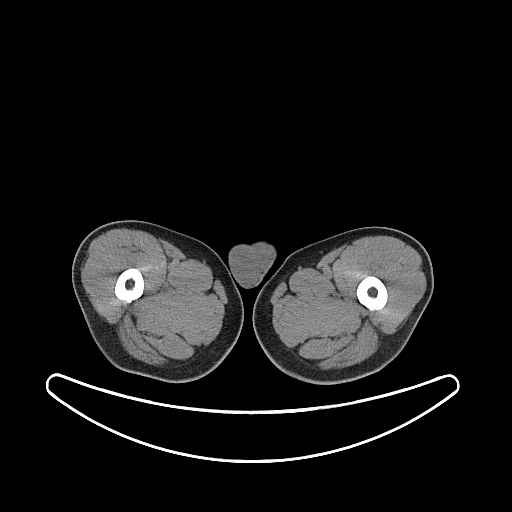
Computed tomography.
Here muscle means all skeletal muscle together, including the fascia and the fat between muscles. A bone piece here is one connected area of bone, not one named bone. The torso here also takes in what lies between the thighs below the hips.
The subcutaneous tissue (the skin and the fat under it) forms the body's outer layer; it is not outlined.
The torso is outlined by [[258,239],[265,239],[273,243],[277,248],[277,256],[272,265],[262,278],[261,281],[256,286],[252,288],[244,288],[238,283],[237,284],[235,282],[230,271],[230,268],[226,262],[227,261],[228,250],[234,244],[241,243],[242,242],[250,243]]. The bones are outlined by [[131,267],[134,267],[136,268],[142,274],[143,280],[144,281],[144,286],[143,287],[143,293],[138,298],[134,299],[132,301],[128,303],[123,300],[119,299],[116,296],[115,292],[114,291],[114,287],[115,286],[116,280],[119,274],[124,270]]. The right leg is outlined by [[117,220],[147,221],[192,236],[215,250],[229,268],[231,276],[238,288],[243,301],[243,323],[239,335],[230,351],[214,369],[204,376],[183,383],[171,383],[124,371],[111,364],[94,342],[74,293],[71,279],[72,262],[78,246],[88,233],[103,224]]. The muscle appears in 2 outlined pieces: piece 1: [[371,235],[392,235],[420,252],[426,267],[424,274],[426,278],[426,288],[422,297],[403,325],[396,332],[388,336],[379,349],[369,358],[352,366],[331,371],[304,365],[280,342],[271,324],[268,303],[277,282],[292,268],[309,261],[320,253],[353,238]]; piece 2: [[114,228],[128,228],[146,231],[158,238],[180,246],[203,258],[221,278],[226,290],[227,306],[220,332],[209,347],[192,362],[180,366],[160,367],[147,364],[131,357],[123,350],[115,332],[94,309],[81,281],[81,275],[79,274],[81,265],[90,239]] with a hole at [[131,267],[134,267],[136,268],[142,274],[143,280],[144,281],[144,286],[143,287],[143,293],[138,298],[134,299],[132,301],[128,303],[123,300],[119,299],[116,296],[115,292],[114,291],[114,287],[115,286],[116,280],[119,274],[124,270]]. The left leg is outlined by [[365,226],[384,226],[394,228],[411,235],[423,245],[430,257],[433,268],[433,292],[431,298],[403,349],[382,369],[355,380],[329,385],[310,384],[290,377],[281,371],[268,358],[258,342],[252,323],[252,310],[255,299],[264,283],[292,252],[338,233]].